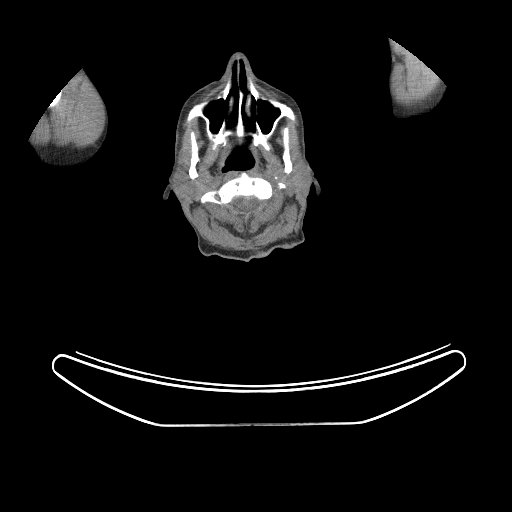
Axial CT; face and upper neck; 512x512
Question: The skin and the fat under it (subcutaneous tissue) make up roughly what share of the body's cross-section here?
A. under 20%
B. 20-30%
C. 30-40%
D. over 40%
Answer: B. 20-30%
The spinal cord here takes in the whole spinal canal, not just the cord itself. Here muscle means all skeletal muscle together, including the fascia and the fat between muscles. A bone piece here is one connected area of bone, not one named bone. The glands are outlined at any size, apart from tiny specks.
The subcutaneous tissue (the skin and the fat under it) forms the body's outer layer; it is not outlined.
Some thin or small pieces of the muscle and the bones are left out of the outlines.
Outlines:
muscle 1: 224 83; 211 100; 194 104; 185 118; 188 126; 196 117; 203 120; 213 151; 219 145; 226 146; 228 138; 233 137; 240 142; 246 141; 251 147; 261 146; 268 152; 271 149; 269 140; 280 120; 286 117; 295 122; 295 112; 298 120; 299 150; 304 163; 295 166; 292 178; 296 193; 303 196; 298 231; 257 250; 228 250; 209 245; 184 204; 189 185; 184 170; 178 167; 182 123; 194 99; inner edges: 243 146; 249 151; 254 160; 251 167; 243 170; 250 176; 261 177; 267 180; 272 185; 271 197; 247 219; 228 205; 213 202; 202 203; 200 201; 205 192; 216 190; 223 183; 240 174; 242 169; 224 171; 223 168; 226 159; 233 150, then 285 126; 288 126; 288 128; 289 129; 289 154; 290 155; 290 159; 291 160; 291 162; 292 163; 292 169; 291 170; 291 171; 289 173; 286 173; 284 171; 284 163; 283 162; 283 160; 282 159; 282 150; 283 149; 282 148; 282 129, then 190 129; 193 130; 194 132; 195 138; 196 139; 196 143; 198 146; 198 154; 199 155; 199 160; 195 166; 197 173; 198 174; 194 179; 191 179; 188 173; 188 170; 189 169; 189 166; 190 165; 190 158; 191 157; 190 131; 189 130, then 278 182; 279 182; 280 182; 281 182; 282 182; 283 183; 284 183; 285 184; 285 185; 285 186; 285 187; 285 188; 284 188; 283 188; 282 189; 281 189; 280 189; 279 188; 278 188; 278 187; 277 186; 277 185; 277 184; 277 183
muscle 2: 77 73; 82 74; 85 76; 96 92; 102 105; 102 109; 104 114; 104 125; 101 135; 92 145; 83 148; 46 148; 34 144; 29 138; 34 128; 42 120; 44 116; 44 112; 46 110; 50 110; 58 105; 63 95; 64 91; 63 88
muscle 3: 394 42; 399 44; 415 56; 418 60; 427 68; 431 70; 441 80; 441 82; 439 84; 438 91; 429 100; 426 100; 421 105; 416 105; 410 107; 403 106; 398 104; 394 98; 394 94; 392 89; 392 76; 395 64; 393 54; 393 43
muscle 4: 255 84; 267 90; 271 90; 275 92; 280 96; 283 97; 285 99; 285 100; 291 105; 291 107; 289 105; 288 105; 286 103; 282 101; 280 101; 272 97; 267 97; 263 95; 261 93; 261 92; 256 87
left arm: 387 38; 399 44; 415 56; 415 57; 427 68; 431 70; 447 87; 447 90; 442 101; 431 113; 425 116; 416 117; 410 119; 404 119; 403 120; 397 119; 392 115; 390 109; 390 97; 388 93; 388 75; 390 69; 390 54; 388 49
parotid glands 1: 299 163; 304 164; 306 166; 307 169; 309 171; 309 175; 310 176; 309 185; 307 187; 307 189; 303 195; 299 195; 297 193; 296 191; 296 188; 294 185; 294 181; 293 180; 293 178; 294 177; 294 173; 295 172; 295 168
parotid glands 2: 178 168; 181 168; 183 170; 186 176; 186 180; 187 181; 187 184; 188 185; 188 192; 187 193; 187 195; 186 195; 185 197; 183 198; 181 197; 178 194; 178 193; 174 188; 174 175; 176 173; 176 171
head and neck: 237 50; 245 53; 258 77; 297 102; 304 124; 306 158; 321 186; 320 196; 315 187; 310 186; 302 227; 304 241; 248 261; 203 255; 174 193; 171 191; 165 201; 162 199; 173 164; 175 129; 182 104; 194 91; 219 78; 229 56, around holes outlined by 244 98; 243 105; 244 115; 248 119; 252 115; 251 113; 252 100; 254 100; 256 102; 259 100; 265 101; 279 111; 273 120; 270 129; 267 132; 264 132; 262 130; 256 119; 253 122; 254 130; 250 129; 245 123; 243 119; 243 100 and by 243 146; 245 146; 245 147; 251 154; 254 160; 253 165; 252 165; 251 167; 243 170; 242 169; 229 169; 227 171; 224 171; 223 170; 223 168; 225 165; 225 162; 228 156; 229 156; 230 154; 232 153; 234 149; 236 148; 239 148 and by 221 99; 223 101; 228 99; 228 105; 227 106; 227 111; 226 112; 226 114; 225 116; 223 117; 218 129; 216 131; 212 131; 210 127; 210 120; 209 118; 205 114; 204 112; 204 110; 205 108; 210 103; 210 102; 214 100; 220 100 and by 236 62; 236 84; 237 85; 237 93; 238 94; 238 103; 237 104; 237 119; 235 123; 231 121; 230 123; 228 123; 228 120; 229 119; 228 118; 229 116; 232 113; 234 109; 234 96; 232 94; 232 72; 233 71; 233 66 and by 241 61; 242 61; 242 62; 243 63; 243 66; 244 67; 244 71; 245 72; 245 79; 246 80; 246 82; 245 83; 245 86; 246 87; 246 92; 245 93; 245 94; 244 93; 243 90; 240 87; 240 73; 239 72; 239 62; 240 62
spinal cord: 237 196; 254 196; 256 198; 257 198; 260 201; 260 203; 259 204; 259 205; 258 206; 258 207; 256 209; 254 209; 251 211; 238 211; 233 207; 233 206; 231 203; 232 202; 232 201; 233 200; 233 199; 235 197; 236 197
bones 1: 230 74; 233 109; 227 118; 228 124; 231 122; 235 124; 238 119; 239 74; 239 87; 245 95; 246 76; 250 76; 263 96; 286 104; 294 112; 295 121; 286 116; 279 120; 268 140; 270 145; 268 151; 261 145; 251 146; 250 137; 240 141; 233 136; 227 138; 226 145; 219 144; 213 150; 213 143; 206 134; 204 120; 196 116; 188 125; 186 122; 189 110; 204 100; 211 101; 225 86 with holes at 244 98; 243 105; 244 115; 248 119; 252 115; 251 113; 252 100; 254 100; 256 102; 259 100; 265 101; 279 111; 273 120; 270 129; 267 132; 264 132; 262 130; 256 119; 253 122; 254 130; 250 129; 245 123; 243 119; 243 100 and at 221 99; 223 101; 228 99; 228 105; 227 106; 227 111; 226 112; 226 114; 225 116; 223 117; 218 129; 216 131; 212 131; 210 127; 210 120; 209 118; 205 114; 204 112; 204 110; 205 108; 210 103; 210 102; 214 100; 220 100
bones 2: 242 171; 245 171; 250 176; 253 177; 261 177; 270 182; 272 185; 271 197; 247 219; 245 219; 241 213; 232 209; 228 205; 217 204; 213 202; 202 203; 200 201; 202 195; 205 192; 210 190; 216 190; 226 181; 238 176 with a hole at 237 196; 254 196; 256 198; 257 198; 260 201; 260 203; 259 204; 259 205; 258 206; 258 207; 256 209; 254 209; 251 211; 238 211; 233 207; 233 206; 231 203; 232 202; 232 201; 233 200; 233 199; 235 197; 236 197
bones 3: 285 126; 288 126; 288 128; 289 129; 289 154; 290 155; 290 159; 291 160; 291 162; 292 163; 292 169; 291 170; 291 171; 289 173; 286 173; 284 171; 284 163; 283 162; 283 160; 282 159; 282 150; 283 149; 282 148; 282 129
bones 4: 190 129; 193 130; 194 132; 195 138; 196 139; 196 143; 198 146; 198 154; 199 155; 199 160; 195 166; 197 173; 198 174; 194 179; 191 179; 188 173; 188 170; 189 169; 189 166; 190 165; 190 158; 191 157; 190 131; 189 130
bones 5: 62 89; 63 90; 63 91; 62 92; 62 95; 61 96; 61 97; 60 98; 60 100; 57 104; 57 105; 56 105; 54 107; 53 107; 50 109; 48 109; 47 108; 50 104; 50 103; 57 95; 57 94
right arm: 82 68; 84 68; 87 73; 89 74; 97 86; 104 100; 108 115; 107 134; 100 149; 87 161; 75 167; 64 169; 59 172; 54 173; 49 170; 40 167; 34 154; 27 145; 28 140; 34 128; 44 112; 46 111; 50 103; 57 94